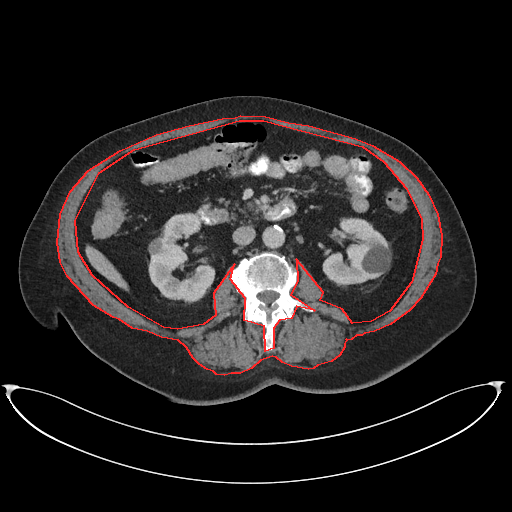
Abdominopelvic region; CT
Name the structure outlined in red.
red: muscle.
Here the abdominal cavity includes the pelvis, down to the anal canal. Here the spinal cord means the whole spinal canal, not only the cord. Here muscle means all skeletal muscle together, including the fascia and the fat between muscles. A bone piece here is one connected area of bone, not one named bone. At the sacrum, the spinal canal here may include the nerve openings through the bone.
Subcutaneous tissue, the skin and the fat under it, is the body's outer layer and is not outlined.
Outlines:
muscle: 240,115 265,116 288,122 308,125 355,138 372,145 399,161 416,177 428,194 437,214 441,235 440,257 437,263 435,274 420,298 409,310 390,324 374,331 364,333 361,335 356,335 351,339 347,340 346,339 344,343 344,347 339,355 331,361 317,365 313,368 308,369 291,366 282,362 276,357 272,356 260,360 251,368 240,373 231,373 224,375 216,374 213,371 207,369 199,364 193,358 186,347 178,340 161,337 147,331 132,328 119,319 113,317 93,305 67,276 60,262 57,242 60,214 70,191 88,170 120,150 156,134 189,125 222,118 235,117; inner edge: 239,120 263,120 362,146 383,161 406,188 421,219 422,239 411,282 389,311 371,321 352,323 342,309 320,300 323,292 296,259 297,281 290,294 314,310 296,306 291,318 279,320 273,328 273,348 265,351 264,326 244,320 245,298 230,279 234,264 213,293 215,315 203,324 177,329 163,327 128,307 92,275 78,252 75,220 99,172 134,149
spinal cord: 264,291 274,291 275,292 278,293 278,296 277,297 277,298 276,298 270,304 269,304 268,305 265,302 264,302 263,301 260,300 257,297 257,294 258,293 259,293 260,292 263,292
torso: 233,95 286,99 358,121 404,142 430,165 458,209 476,264 474,301 453,333 361,389 320,394 272,384 238,400 194,405 168,400 118,372 90,352 60,315 56,331 36,321 20,291 19,252 65,163 111,130
abdominal cavity: 239,120 362,146 406,188 421,219 422,239 411,282 389,311 352,323 342,309 320,300 323,292 301,261 294,265 269,250 226,269 211,299 211,319 177,329 128,307 92,275 78,252 75,220 99,172 134,149
bones: 264,251 284,255 295,267 298,273 297,281 290,294 314,309 309,312 296,306 291,318 279,320 273,328 273,348 268,351 263,349 262,343 264,326 260,322 244,320 245,298 236,291 230,279 231,271 242,258, around a hole outlined by 264,291 274,291 275,292 278,293 278,296 277,297 277,298 276,298 270,304 269,304 268,305 265,302 264,302 263,301 260,300 257,297 257,294 258,293 259,293 260,292 263,292